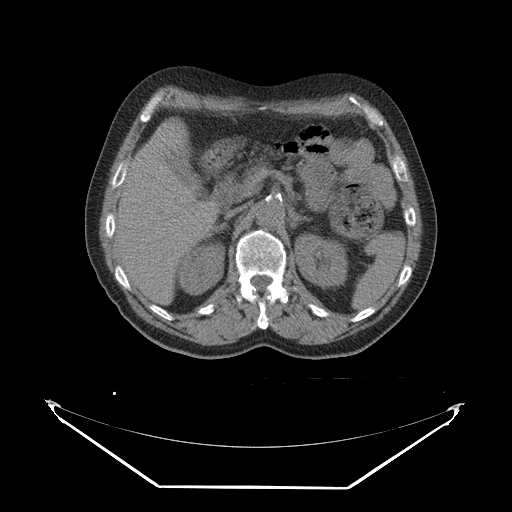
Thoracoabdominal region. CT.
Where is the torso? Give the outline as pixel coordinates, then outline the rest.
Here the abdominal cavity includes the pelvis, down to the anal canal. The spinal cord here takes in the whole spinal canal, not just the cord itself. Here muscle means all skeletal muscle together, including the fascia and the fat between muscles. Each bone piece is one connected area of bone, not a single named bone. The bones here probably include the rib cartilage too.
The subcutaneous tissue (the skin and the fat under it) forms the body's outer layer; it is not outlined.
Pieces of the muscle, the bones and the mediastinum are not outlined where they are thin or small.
The torso is outlined by 176 64; 205 66; 260 83; 313 72; 344 71; 376 83; 397 104; 433 194; 437 243; 420 295; 407 313; 373 344; 356 354; 325 359; 293 357; 267 346; 227 358; 201 359; 150 341; 109 299; 85 246; 88 186; 124 97; 151 72. The muscle is outlined by 168 84; 201 95; 259 102; 354 92; 379 110; 407 159; 424 229; 411 281; 380 322; 336 343; 312 347; 289 342; 267 329; 266 311; 277 300; 282 304; 289 300; 290 292; 283 284; 289 256; 303 285; 325 308; 307 304; 321 318; 328 317; 329 310; 355 314; 348 320; 352 323; 361 321; 377 310; 373 305; 396 280; 397 287; 409 280; 413 269; 404 263; 407 226; 416 224; 416 213; 411 205; 403 209; 401 205; 398 182; 409 180; 402 158; 395 154; 389 161; 380 135; 358 115; 297 117; 265 111; 223 114; 162 109; 152 116; 171 96; 162 90; 141 112; 139 120; 147 122; 129 162; 121 160; 110 181; 113 189; 119 187; 115 213; 109 212; 104 221; 105 235; 113 236; 119 260; 113 275; 123 288; 130 291; 131 284; 152 312; 173 321; 170 313; 193 311; 224 283; 232 258; 239 284; 234 297; 238 303; 244 299; 257 305; 256 326; 260 329; 233 343; 202 345; 160 329; 134 312; 101 251; 102 193; 136 116; 152 93; inner edges: 350 95; 353 96; 362 105; 368 105; 371 108; 372 108; 377 113; 379 117; 383 121; 383 125; 382 126; 378 126; 375 124; 373 124; 366 117; 363 110; 360 107; 358 107; 356 106; 348 99; 348 96, then 210 303; 212 303; 214 305; 214 309; 213 310; 213 311; 211 313; 210 313; 209 314; 204 314; 203 315; 201 315; 200 314; 198 314; 197 313; 197 310; 200 307; 203 307; 204 306; 205 306; 206 305; 207 305; 208 304; 209 304. The abdominal cavity is outlined by 162 110; 361 117; 385 144; 401 191; 407 241; 397 279; 379 300; 356 313; 327 309; 300 279; 284 236; 284 203; 269 195; 236 237; 234 260; 229 260; 223 283; 199 306; 176 313; 150 303; 120 265; 114 215; 132 152; 146 124. The spinal cord is outlined by 256 275; 265 275; 266 276; 268 276; 269 277; 270 277; 271 278; 271 282; 269 284; 268 284; 266 286; 266 287; 265 288; 265 291; 264 291; 263 292; 259 292; 257 290; 257 289; 251 283; 251 278; 253 276; 255 276. The mediastinum is outlined by 269 196; 278 197; 283 203; 283 215; 281 224; 283 236; 288 246; 288 250; 290 255; 288 257; 287 257; 287 252; 283 242; 277 236; 262 228; 257 228; 245 232; 237 240; 236 244; 236 239; 247 219; 253 211; 262 204; 264 200. The bones appear in 13 outlined pieces: piece 1: 257 229; 262 229; 277 237; 286 252; 286 267; 282 284; 289 292; 288 300; 282 303; 277 299; 272 304; 266 305; 265 312; 268 318; 266 329; 257 326; 258 305; 244 298; 238 302; 235 297; 240 286; 235 264; 236 245; 245 233, around a hole outlined by 256 275; 265 275; 266 276; 268 276; 269 277; 270 277; 271 278; 271 282; 269 284; 268 284; 266 286; 266 287; 265 288; 265 291; 264 291; 263 292; 259 292; 257 290; 257 289; 251 283; 251 278; 253 276; 255 276; piece 2: 160 91; 162 91; 165 95; 167 94; 170 94; 170 96; 168 98; 164 99; 157 105; 157 106; 151 114; 151 117; 149 120; 145 122; 142 122; 140 120; 140 116; 142 112; 146 107; 148 102; 151 99; 151 98; 155 94; 156 94; piece 3: 350 95; 353 96; 362 105; 368 105; 371 108; 372 108; 377 113; 379 117; 383 121; 383 125; 382 126; 378 126; 375 124; 373 124; 366 117; 363 110; 360 107; 358 107; 356 106; 348 99; 348 96; piece 4: 395 155; 398 155; 401 158; 401 159; 404 162; 404 163; 405 164; 405 166; 406 167; 406 172; 407 173; 407 175; 408 176; 408 180; 407 181; 398 181; 398 180; 396 178; 396 176; 392 169; 392 166; 390 163; 390 161; piece 5: 121 161; 125 161; 126 162; 127 162; 127 169; 126 170; 126 173; 125 174; 125 177; 124 178; 122 183; 119 186; 118 186; 115 188; 113 188; 111 185; 111 181; 112 180; 112 178; 116 171; 116 169; 117 168; 119 163; piece 6: 117 265; 119 265; 122 268; 124 273; 126 275; 126 277; 127 278; 127 279; 130 284; 130 286; 131 287; 131 289; 130 290; 129 290; 128 289; 123 287; 117 281; 117 280; 114 275; 114 270; 115 269; 115 267; piece 7: 404 264; 408 264; 411 267; 411 268; 412 269; 412 271; 411 272; 410 277; 408 279; 408 280; 404 284; 403 284; 400 286; 397 286; 397 283; 398 282; 398 278; 399 277; 400 272; 401 271; 401 270; 402 269; piece 8: 370 306; 372 306; 373 307; 376 308; 376 310; 372 314; 371 314; 369 316; 368 316; 361 320; 359 320; 358 321; 355 321; 354 322; 352 322; 349 320; 352 317; 353 317; 358 312; 359 312; 361 310; 362 310; 365 308; 367 308; piece 9: 109 213; 112 213; 113 214; 113 215; 114 216; 114 221; 115 222; 115 228; 114 229; 114 231; 113 232; 113 235; 111 237; 108 237; 106 235; 106 232; 105 231; 105 221; 106 220; 106 218; 107 217; 107 215; piece 10: 409 205; 410 206; 411 206; 413 208; 413 209; 414 210; 414 212; 415 213; 415 224; 414 225; 412 225; 411 226; 410 225; 407 225; 407 224; 405 221; 405 219; 404 218; 404 215; 403 214; 403 210; 407 206; 408 206; piece 11: 150 304; 154 304; 155 305; 156 305; 157 306; 159 306; 161 308; 164 309; 166 311; 167 311; 174 318; 174 319; 173 320; 168 320; 167 319; 165 319; 163 317; 162 317; 161 316; 160 316; 158 314; 155 313; 149 308; 149 305; piece 12: 309 303; 311 303; 312 304; 314 304; 319 307; 321 307; 322 308; 325 309; 327 311; 328 311; 329 312; 329 315; 328 316; 326 316; 325 317; 321 317; 320 316; 318 316; 317 315; 312 313; 310 308; 308 306; 308 304; piece 13: 210 303; 212 303; 214 305; 214 309; 213 310; 213 311; 211 313; 210 313; 209 314; 204 314; 203 315; 201 315; 200 314; 198 314; 197 313; 197 310; 200 307; 203 307; 204 306; 205 306; 206 305; 207 305; 208 304; 209 304.